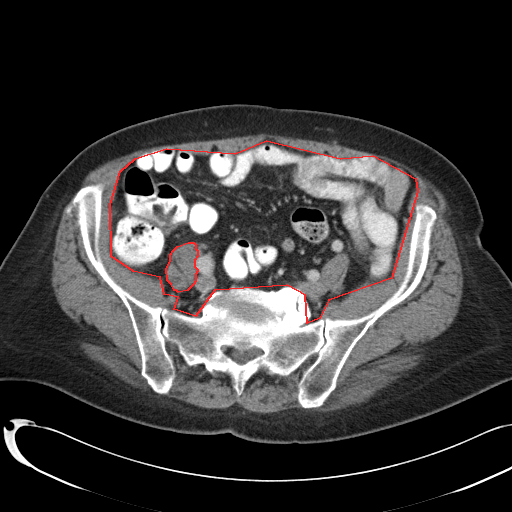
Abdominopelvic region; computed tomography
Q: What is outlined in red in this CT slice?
A: red: abdominal cavity.
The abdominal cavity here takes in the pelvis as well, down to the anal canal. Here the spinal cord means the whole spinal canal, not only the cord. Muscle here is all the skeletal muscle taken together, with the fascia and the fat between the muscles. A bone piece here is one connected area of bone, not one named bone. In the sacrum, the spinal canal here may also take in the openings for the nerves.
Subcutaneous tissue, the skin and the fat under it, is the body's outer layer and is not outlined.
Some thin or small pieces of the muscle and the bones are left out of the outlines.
{"abdominal_cavity":[{"outer":[[266,140],[340,158],[373,155],[415,178],[417,191],[391,278],[328,300],[319,318],[307,323],[305,295],[287,285],[214,290],[195,316],[174,309],[178,297],[164,294],[160,277],[133,271],[111,256],[110,204],[120,171],[135,158],[166,148],[235,153]],"hole":[[188,242],[193,242],[195,244],[195,248],[197,250],[197,256],[194,260],[194,266],[197,269],[197,271],[195,274],[195,281],[193,284],[187,290],[178,292],[176,290],[174,290],[171,284],[167,280],[166,268],[170,261],[170,254],[173,250],[177,246]]}],"spinal_cord":[[[253,347],[255,347],[259,349],[261,351],[261,353],[258,354],[246,362],[242,363],[241,364],[240,363],[236,362],[230,356],[229,354],[230,353],[230,350],[231,349],[237,349],[238,350],[241,350],[242,351],[243,350],[247,350],[248,349],[250,349]]],"bones":[{"outer":[[97,183],[108,274],[195,317],[239,286],[298,289],[304,324],[364,316],[404,278],[415,206],[437,218],[421,281],[357,341],[322,405],[297,398],[316,354],[286,376],[261,366],[238,396],[227,373],[189,366],[168,342],[175,377],[160,394],[66,212]],"hole":[[253,347],[255,347],[259,349],[261,351],[261,353],[258,354],[246,362],[242,363],[241,364],[240,363],[236,362],[230,356],[229,354],[230,353],[230,350],[231,349],[237,349],[238,350],[241,350],[242,351],[243,350],[247,350],[248,349],[250,349]]}],"torso":[[[233,103],[318,110],[370,120],[413,136],[449,159],[479,202],[484,219],[482,245],[511,279],[511,380],[402,425],[310,444],[258,443],[230,433],[183,434],[157,429],[114,416],[46,385],[0,381],[0,263],[49,183],[82,149],[113,131],[174,112]]],"muscle":[[[259,133],[322,142],[335,140],[343,146],[385,155],[430,181],[447,202],[448,221],[463,277],[458,311],[447,329],[419,346],[422,357],[413,368],[358,405],[332,411],[290,408],[272,413],[250,412],[236,403],[225,408],[199,407],[165,395],[176,377],[174,359],[167,344],[176,348],[189,367],[201,364],[210,374],[215,371],[227,374],[238,397],[261,367],[265,367],[270,375],[286,377],[316,355],[296,384],[296,398],[304,409],[322,406],[336,388],[340,372],[358,341],[385,313],[417,288],[427,269],[438,216],[430,205],[417,203],[405,272],[396,290],[364,315],[320,317],[328,301],[341,301],[362,284],[378,284],[394,275],[410,204],[418,191],[416,178],[406,169],[369,153],[340,157],[326,151],[299,150],[273,139],[235,152],[216,146],[205,153],[171,147],[145,151],[117,175],[109,204],[108,250],[110,256],[125,268],[160,278],[164,284],[163,294],[166,297],[172,292],[177,297],[173,309],[150,305],[132,295],[115,281],[102,261],[99,238],[105,185],[97,182],[79,188],[91,170],[148,147]],[[76,191],[65,208],[65,212],[77,227],[82,248],[89,263],[120,299],[127,312],[140,355],[140,374],[151,389],[143,390],[135,387],[114,375],[100,363],[89,358],[81,347],[81,340],[74,323],[62,310],[57,301],[51,282],[52,254],[61,213]],[[188,242],[193,242],[195,244],[195,248],[197,250],[197,256],[194,260],[194,266],[197,269],[197,271],[195,274],[195,281],[193,284],[187,290],[178,292],[176,290],[174,290],[171,284],[167,280],[166,268],[170,261],[170,254],[173,250],[177,246]],[[341,252],[344,252],[347,255],[349,260],[349,264],[348,265],[348,269],[347,270],[347,272],[343,280],[343,288],[341,292],[337,295],[333,295],[330,293],[330,290],[329,288],[320,280],[320,270],[322,266],[328,259],[333,257],[336,254],[338,254]]]}